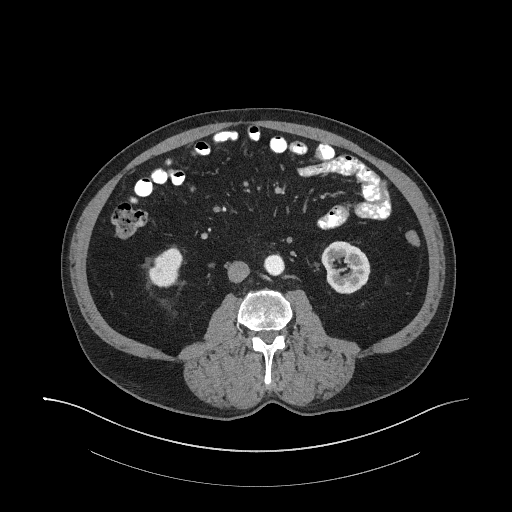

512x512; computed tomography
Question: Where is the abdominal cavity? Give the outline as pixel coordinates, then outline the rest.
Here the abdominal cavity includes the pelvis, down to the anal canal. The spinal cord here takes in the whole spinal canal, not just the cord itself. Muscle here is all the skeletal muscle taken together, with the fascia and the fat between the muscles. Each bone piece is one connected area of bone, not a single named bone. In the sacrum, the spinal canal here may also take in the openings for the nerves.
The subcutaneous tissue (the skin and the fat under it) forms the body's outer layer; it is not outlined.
Answer: The abdominal cavity is outlined by [[172,356],[203,340],[212,312],[227,293],[243,298],[261,288],[285,296],[302,289],[326,333],[362,348],[397,331],[418,311],[427,283],[426,244],[411,207],[383,172],[357,154],[256,125],[224,128],[134,167],[120,179],[94,226],[88,283],[112,327]]. The spinal cord is outlined by [[266,343],[270,343],[273,340],[273,339],[278,334],[278,332],[277,331],[260,331],[259,332],[258,332],[257,333],[257,334],[258,335],[258,336],[260,338],[261,338]]. The bones are outlined by [[267,386],[271,382],[271,363],[273,355],[278,349],[283,349],[285,347],[285,328],[291,320],[293,313],[289,301],[280,292],[270,289],[261,289],[249,291],[246,294],[238,308],[237,322],[249,331],[248,339],[253,349],[263,354],[265,362],[264,383]]; inner edge: [[266,343],[270,343],[273,340],[273,339],[278,334],[278,332],[277,331],[260,331],[259,332],[258,332],[257,333],[257,334],[258,335],[258,336],[260,338],[261,338]]. The muscle is outlined by [[223,410],[241,410],[252,407],[262,399],[264,393],[267,390],[272,390],[277,396],[284,401],[298,406],[310,405],[325,401],[340,391],[349,382],[353,375],[355,363],[358,358],[362,358],[376,353],[391,352],[405,346],[422,332],[436,311],[444,283],[445,258],[443,253],[443,239],[441,231],[432,208],[426,201],[417,185],[403,172],[386,161],[372,155],[357,144],[337,134],[316,127],[274,120],[239,120],[232,122],[217,122],[183,131],[166,138],[143,151],[132,159],[94,195],[84,208],[75,226],[69,249],[69,270],[71,283],[81,313],[93,331],[105,342],[127,353],[144,358],[171,361],[181,365],[183,377],[189,389],[198,398],[209,403],[214,407]], around a hole outlined by [[267,386],[273,355],[285,347],[293,316],[289,290],[307,294],[326,333],[364,348],[418,311],[428,260],[411,207],[373,164],[328,143],[246,124],[128,171],[94,226],[87,275],[112,327],[172,356],[203,340],[227,293],[242,297],[237,322],[263,354]]. The torso is outlined by [[223,421],[249,416],[268,403],[308,416],[371,403],[413,382],[441,342],[456,284],[455,248],[448,221],[421,175],[393,148],[359,128],[281,107],[192,114],[146,133],[116,153],[87,183],[71,210],[61,245],[61,286],[70,322],[91,365],[141,401]].